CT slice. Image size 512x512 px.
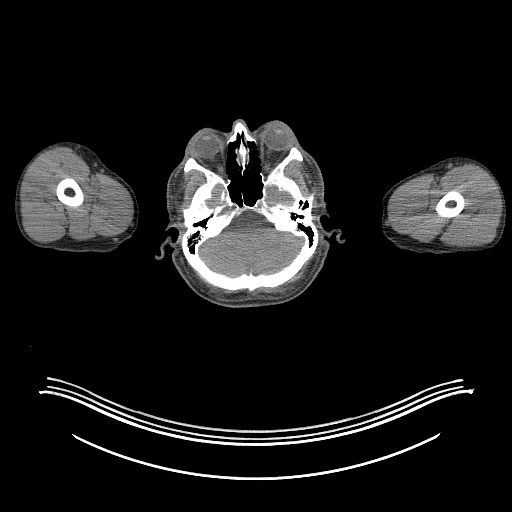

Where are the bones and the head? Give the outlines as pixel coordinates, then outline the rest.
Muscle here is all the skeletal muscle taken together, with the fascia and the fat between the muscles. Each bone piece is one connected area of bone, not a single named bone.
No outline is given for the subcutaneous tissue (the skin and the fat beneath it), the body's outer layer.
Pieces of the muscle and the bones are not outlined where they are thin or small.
The bones appear in 4 outlined pieces: piece 1: [[293,146],[303,160],[291,160],[283,172],[304,195],[314,193],[315,250],[294,275],[273,287],[233,290],[203,279],[181,247],[186,229],[182,209],[206,181],[197,169],[184,172],[187,159],[228,177],[230,198],[251,206],[262,196],[261,170],[266,174]] with holes at [[247,211],[263,217],[273,226],[275,230],[280,232],[289,232],[300,238],[301,243],[297,253],[289,263],[272,272],[260,272],[256,274],[252,272],[242,272],[237,275],[228,275],[212,269],[201,255],[202,246],[209,239],[217,236],[228,227],[236,217]] and at [[273,187],[274,187],[278,192],[284,192],[288,194],[291,200],[290,201],[285,202],[281,200],[277,200],[276,201],[273,201],[271,199],[270,199],[269,197],[270,196],[270,190],[271,188]] and at [[216,188],[219,188],[217,189],[217,191],[218,192],[218,194],[217,195],[217,199],[216,200],[217,201],[216,201],[215,203],[214,203],[212,205],[210,205],[208,201],[211,200],[214,197],[214,190],[215,190]]; piece 2: [[236,120],[243,121],[246,124],[251,135],[256,140],[256,144],[253,141],[250,141],[248,143],[250,148],[249,161],[242,174],[240,172],[241,168],[236,162],[234,153],[234,148],[238,145],[241,136],[238,135],[236,141],[232,141],[228,144],[226,142]]; piece 3: [[67,176],[73,178],[76,181],[76,182],[79,185],[83,193],[84,200],[83,202],[79,206],[77,207],[71,207],[70,206],[68,206],[64,204],[58,199],[57,197],[57,195],[56,194],[56,186],[57,184],[61,180],[62,180]]; piece 4: [[453,189],[455,189],[457,191],[458,191],[465,199],[465,204],[464,205],[464,207],[463,209],[458,214],[458,215],[456,216],[454,216],[450,218],[447,218],[446,217],[441,217],[437,214],[435,210],[435,206],[438,202],[438,201],[444,195],[445,193]]. The head is outlined by [[236,119],[250,131],[271,120],[293,130],[322,174],[329,216],[320,222],[339,228],[345,240],[328,237],[315,279],[280,304],[215,304],[186,284],[169,245],[155,258],[169,235],[178,236],[176,228],[165,229],[166,188],[187,142],[204,127],[231,132]]; inner edge: [[238,136],[240,138],[237,145],[233,148],[233,153],[235,162],[240,168],[240,174],[244,173],[250,161],[250,142],[255,144],[260,160],[261,196],[251,205],[243,201],[241,204],[234,201],[230,196],[228,188],[231,183],[226,170],[228,145],[236,142]]. The left arm is outlined by [[454,156],[469,157],[481,162],[492,172],[498,181],[505,200],[506,211],[505,226],[501,238],[493,247],[474,252],[435,254],[434,253],[418,253],[396,248],[390,243],[382,233],[381,215],[383,196],[395,183],[403,178],[424,169],[442,159]]. The muscle appears in 5 outlined pieces: piece 1: [[59,146],[66,146],[74,149],[92,169],[112,177],[128,191],[133,202],[133,219],[132,224],[123,233],[113,238],[97,237],[79,241],[64,237],[54,242],[40,243],[30,238],[25,232],[21,223],[20,214],[20,188],[24,175],[37,157],[42,153]], around a hole outlined by [[67,176],[73,178],[76,181],[76,182],[79,185],[83,193],[84,200],[83,202],[79,206],[77,207],[71,207],[70,206],[68,206],[64,204],[58,199],[57,197],[57,195],[56,194],[56,186],[57,184],[61,180],[62,180]]; piece 2: [[458,163],[472,163],[479,166],[492,178],[498,189],[502,210],[496,236],[491,242],[474,247],[448,246],[431,241],[420,242],[407,235],[398,234],[390,229],[391,227],[387,218],[387,205],[390,196],[396,188],[415,177],[440,168],[441,170],[449,169]] with a hole at [[453,189],[455,189],[457,191],[458,191],[465,199],[465,204],[464,205],[464,207],[463,209],[458,214],[458,215],[456,216],[454,216],[450,218],[447,218],[446,217],[441,217],[437,214],[435,210],[435,206],[438,202],[438,201],[444,195],[445,193]]; piece 3: [[319,234],[321,236],[321,251],[312,267],[309,278],[303,284],[279,298],[232,300],[216,297],[197,285],[180,261],[182,252],[187,263],[198,275],[203,280],[218,288],[233,291],[246,289],[250,292],[261,287],[273,288],[288,281],[301,269],[316,250]]; piece 4: [[182,166],[183,166],[182,168],[183,172],[185,174],[192,170],[197,170],[201,172],[204,175],[205,181],[201,183],[195,189],[190,198],[189,203],[186,206],[182,207],[181,211],[183,218],[179,218],[174,207],[173,196],[177,170],[178,168],[181,169]]; piece 5: [[301,152],[309,160],[311,169],[313,171],[319,188],[318,202],[320,205],[313,211],[312,210],[315,193],[313,191],[310,191],[307,194],[304,194],[296,181],[291,177],[287,176],[284,172],[285,167],[291,161],[295,160],[302,162],[304,160]]. The brain appears in 3 outlined pieces: piece 1: [[247,211],[263,217],[273,226],[275,230],[280,232],[289,232],[300,238],[301,243],[297,253],[289,263],[272,272],[260,272],[256,274],[252,272],[242,272],[237,275],[228,275],[212,269],[201,255],[202,246],[209,239],[217,236],[228,227],[236,217]]; piece 2: [[273,187],[274,187],[278,192],[284,192],[288,194],[291,200],[290,201],[285,202],[281,200],[277,200],[276,201],[273,201],[271,199],[270,199],[269,197],[270,196],[270,190],[271,188]]; piece 3: [[216,188],[219,188],[217,189],[217,191],[218,192],[218,194],[217,195],[217,199],[216,200],[217,201],[216,201],[215,203],[214,203],[212,205],[210,205],[208,201],[211,200],[214,197],[214,190],[215,190]]. The right arm is outlined by [[59,141],[72,141],[87,146],[99,157],[108,168],[119,175],[132,188],[139,208],[138,225],[132,235],[116,249],[109,252],[100,253],[67,252],[40,248],[28,242],[19,231],[15,218],[14,200],[16,186],[20,174],[26,164],[38,151],[52,143]].